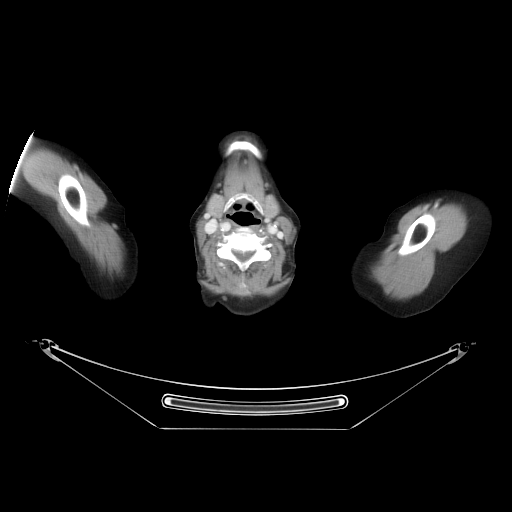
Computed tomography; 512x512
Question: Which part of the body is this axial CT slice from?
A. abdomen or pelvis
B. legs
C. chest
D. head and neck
Answer: D. head and neck
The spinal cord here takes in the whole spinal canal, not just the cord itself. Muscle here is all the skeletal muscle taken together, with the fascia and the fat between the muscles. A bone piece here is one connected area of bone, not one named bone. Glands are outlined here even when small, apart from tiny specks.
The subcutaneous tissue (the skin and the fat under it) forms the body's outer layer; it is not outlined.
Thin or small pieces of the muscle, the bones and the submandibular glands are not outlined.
The head and neck is outlined by 234,130 253,131 268,144 275,161 281,195 301,222 295,244 296,272 287,294 274,306 251,316 232,314 219,304 210,309 202,305 194,276 196,261 193,240 188,229 190,217 210,183 215,147 225,134 with a hole at 237,213 249,213 251,215 251,216 255,220 256,220 257,221 258,221 259,222 259,223 257,223 256,224 248,224 246,226 246,227 245,227 244,226 240,226 239,225 238,225 231,218 234,215 234,214 236,214. The spinal cord is outlined by 234,251 239,251 240,252 247,252 248,251 250,251 251,252 252,252 252,254 247,259 246,259 245,260 241,260 240,259 239,259 235,255 235,254 234,253. The left arm is outlined by 444,186 465,188 479,194 489,202 493,210 493,227 488,243 480,257 469,271 433,308 428,311 402,319 387,316 369,306 352,293 350,288 349,263 362,244 367,241 376,239 380,236 385,221 393,209 423,191. The right arm is outlined by 32,133 55,138 78,151 125,207 125,221 133,232 138,244 140,269 135,283 124,295 113,303 100,301 88,289 78,267 70,259 61,241 45,221 12,196 9,196 8,199 9,192 12,189 12,182 18,160. The submandibular glands appear in 2 outlined pieces: piece 1: 216,193 217,194 221,194 223,195 223,196 225,198 225,205 223,208 223,212 221,214 221,215 218,217 215,217 213,215 211,215 209,213 207,213 208,212 206,209 206,205 210,196 211,196 212,194 215,194; piece 2: 268,194 271,194 273,195 276,198 277,201 279,203 279,212 277,214 277,215 273,217 267,217 265,215 265,213 263,209 264,207 264,205 263,204 264,203 264,199 265,198 265,196. The muscle appears in 5 outlined pieces: piece 1: 243,199 250,202 264,216 265,221 278,215 280,204 296,228 289,245 290,279 278,293 270,297 256,296 251,299 241,299 227,294 211,294 202,285 203,263 196,235 197,219 205,205 206,213 218,218 237,201, around a hole outlined by 237,213 249,213 259,223 248,224 246,227 251,229 259,236 267,236 266,241 272,244 269,248 271,256 268,260 254,261 243,272 233,261 220,258 216,252 216,243 221,239 222,234 228,234 238,226 231,218; piece 2: 42,146 47,146 67,157 70,161 75,162 105,193 108,200 107,207 113,220 118,226 120,236 126,247 123,275 111,278 106,273 101,273 61,219 56,204 51,199 35,191 22,179 20,174 21,158 30,150; inner edge: 63,174 70,174 72,176 75,177 81,185 85,193 85,196 87,201 87,217 90,223 90,225 89,226 84,226 78,223 68,213 64,206 61,203 60,201 60,197 59,196 59,192 58,191 58,180 60,176; piece 3: 439,197 459,201 465,204 470,217 468,228 463,237 435,266 435,271 427,287 420,294 403,301 391,299 383,293 379,285 368,277 367,267 386,246 389,238 397,230 396,228 399,219 407,211 420,203; inner edge: 424,213 430,213 432,214 435,218 436,225 435,226 435,230 432,236 430,238 430,239 418,250 412,253 407,254 406,255 399,255 398,254 398,249 402,243 403,238 405,235 405,233 408,227 417,218 418,218; piece 4: 238,150 248,151 258,160 263,159 263,162 265,163 267,175 276,197 271,193 266,194 263,199 263,207 253,195 247,192 238,192 226,201 226,198 221,193 216,192 210,195 220,169 226,160 224,157 227,157; piece 5: 236,135 248,135 249,136 251,136 253,137 259,143 259,144 261,146 261,148 263,151 263,154 262,151 254,143 246,139 234,139 232,140 225,148 223,152 223,154 223,146 224,145 224,143 228,139. The bones appear in 5 outlined pieces: piece 1: 238,226 251,229 259,236 267,236 266,241 272,244 269,248 271,256 268,260 265,261 254,261 243,272 240,270 238,266 233,261 229,259 220,258 217,255 216,252 217,250 216,243 221,239 222,234 228,234, around a hole outlined by 234,251 239,251 240,252 247,252 248,251 250,251 251,252 252,252 252,254 247,259 246,259 245,260 241,260 240,259 239,259 235,255 235,254 234,253; piece 2: 63,174 70,174 72,176 75,177 81,185 85,193 85,196 87,201 87,217 90,223 90,225 89,226 84,226 78,223 68,213 64,206 61,203 60,201 60,197 59,196 59,192 58,191 58,180 60,176; piece 3: 424,213 430,213 432,214 435,218 436,225 435,226 435,230 432,236 430,238 430,239 418,250 412,253 407,254 406,255 399,255 398,254 398,249 402,243 403,238 405,235 405,233 408,227 417,218 418,218; piece 4: 234,140 246,140 247,141 251,142 253,144 254,144 261,151 263,155 263,158 262,159 258,159 251,152 250,152 248,150 242,150 241,149 234,150 229,155 227,156 224,156 224,152 226,148 228,146 228,145; piece 5: 238,193 247,193 253,196 260,203 260,205 263,210 264,215 261,214 250,201 248,201 246,199 244,199 243,198 242,199 239,199 237,200 226,211 226,212 224,212 224,208 226,205 226,202 232,196.